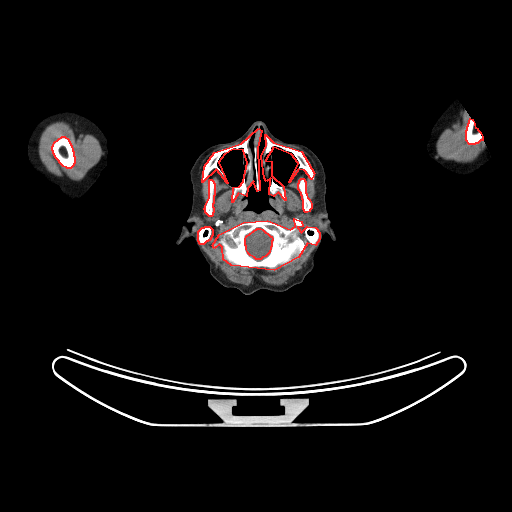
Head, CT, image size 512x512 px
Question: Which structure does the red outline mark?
Answer: red: bones.
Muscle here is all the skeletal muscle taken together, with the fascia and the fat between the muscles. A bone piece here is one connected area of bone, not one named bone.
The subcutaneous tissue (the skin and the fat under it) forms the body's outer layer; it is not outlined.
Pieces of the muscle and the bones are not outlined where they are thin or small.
bones 1: 294,218 301,221 302,226 297,227 301,232 307,226 315,227 319,232 319,239 315,245 307,243 298,257 274,270 231,265 223,259 222,247 219,244 214,248 212,245 219,234 243,222 267,220 290,229 295,226 with a hole at 257,228 260,228 262,229 270,236 271,236 272,238 272,240 271,241 271,246 270,247 269,252 265,256 262,257 260,259 256,259 254,257 250,255 248,253 246,249 246,246 245,245 245,238 246,236
bones 2: 258,128 261,130 257,148 259,190 257,191 253,181 247,188 246,196 238,193 232,202 233,187 239,186 243,181 247,162 243,150 233,149 224,154 218,162 227,183 216,169 202,182 204,166 214,152 241,143
bones 3: 265,134 273,142 301,151 314,173 311,179 304,170 298,169 289,182 298,163 291,154 273,147 265,160 271,161 271,175 283,186 285,200 278,192 273,196 269,194 270,178 266,181 264,178 261,156 266,145
bones 4: 62,136 64,136 68,139 68,140 71,145 72,150 73,151 73,155 74,156 74,163 73,164 73,165 70,168 67,168 66,167 63,166 55,157 55,156 53,153 53,151 52,150 52,146 53,145 54,142
bones 5: 470,118 472,119 474,123 474,125 475,127 477,128 477,129 480,132 482,136 482,140 480,140 477,143 475,143 474,144 469,144 466,140 466,130 467,129 467,126 468,125 468,123 469,122 469,120
bones 6: 301,178 303,178 305,181 305,192 306,193 306,195 307,197 309,199 311,203 311,208 309,210 309,211 307,212 305,212 303,209 303,200 302,199 302,196 301,195 301,193 298,189 298,183 299,182 299,180
bones 7: 210,179 211,179 213,181 213,182 214,183 214,195 213,196 213,203 212,204 212,206 213,207 213,212 212,213 212,215 211,216 209,216 205,212 205,210 204,209 204,208 205,207 205,205 209,198 209,180
bones 8: 205,226 209,226 212,229 212,235 211,236 211,237 210,238 210,239 209,240 208,240 207,241 206,241 203,244 200,244 199,243 199,242 198,241 198,231 202,227 204,227
right arm: 60,111 73,111 89,118 102,130 107,138 107,147 108,148 107,165 102,170 99,177 88,191 82,197 78,199 70,199 64,195 56,185 48,181 32,167 27,157 27,151 26,150 27,143 37,124 44,117
brain: 257,228 260,228 262,229 270,236 271,236 272,238 272,240 271,241 271,246 270,247 269,252 265,256 262,257 260,259 256,259 254,257 250,255 248,253 246,249 246,246 245,245 245,238 246,236
muscle 1: 302,151 314,162 318,172 319,228 307,225 301,231 298,227 302,227 303,223 298,217 292,219 294,226 290,228 267,219 252,219 237,223 219,233 211,245 214,249 219,245 221,247 222,259 231,266 274,271 293,262 306,250 308,244 314,247 306,264 286,283 279,285 260,280 246,286 228,280 215,266 202,245 211,239 213,229 205,225 198,230 198,171 204,159 211,154 200,175 202,183 216,170 232,187 232,203 238,194 245,197 246,210 261,212 272,208 270,196 278,193 283,201 286,200 284,186 293,179 296,171 302,170 311,180 315,179 312,164 with holes at 301,178 303,178 305,181 305,192 306,193 306,195 307,197 309,199 311,203 311,208 309,210 309,211 307,212 305,212 303,209 303,200 302,199 302,196 301,195 301,193 298,189 298,183 299,182 299,180 and at 210,179 211,179 213,181 213,182 214,183 214,195 213,196 213,203 212,204 212,206 213,207 213,212 212,213 212,215 211,216 209,216 205,212 205,210 204,209 204,208 205,207 205,205 209,198 209,180 and at 218,219 219,219 220,219 221,220 222,220 223,221 223,222 222,223 221,224 220,224 219,225 218,226 217,226 216,226 215,226 215,225 214,224 215,223 215,222 216,221 217,220
muscle 2: 60,120 65,121 72,127 79,130 80,132 92,134 99,141 102,149 102,156 100,160 79,181 71,180 66,176 59,177 50,173 45,168 39,157 38,144 39,143 39,138 42,131 48,124 54,121 59,121, around a hole outlined by 62,136 64,136 68,139 68,140 71,145 72,150 73,151 73,155 74,156 74,163 73,164 73,165 70,168 67,168 66,167 63,166 55,157 55,156 53,153 53,151 52,150 52,146 53,145 54,142
muscle 3: 462,107 466,110 470,117 465,130 466,142 469,145 474,145 482,141 483,139 487,147 487,149 482,150 474,160 465,163 453,160 445,160 437,156 435,148 436,142 440,134 445,128 449,127 455,121 457,112
left arm: 454,98 456,98 458,100 461,105 466,110 469,116 472,119 475,127 477,128 480,132 491,157 490,160 483,167 469,175 458,175 445,169 437,162 432,159 429,156 426,150 426,143 430,136 430,131 433,124
head: 255,120 262,120 277,138 305,145 319,158 325,172 326,209 336,239 327,234 321,237 313,269 299,284 283,292 261,289 244,294 211,276 192,237 179,244 176,241 191,209 190,170 195,160 208,147 238,138 with holes at 262,130 264,134 263,135 265,145 260,156 260,165 265,181 266,182 269,178 268,194 269,204 271,208 261,211 255,211 246,209 246,197 248,188 253,182 256,191 258,192 260,190 258,171 258,148 and at 273,148 278,148 284,152 291,155 293,159 295,160 297,163 297,166 289,178 288,182 285,185 281,185 275,181 272,175 272,172 271,171 272,169 272,161 270,160 268,162 266,160 266,157 271,153 272,149 and at 233,150 242,150 242,155 244,158 245,157 246,158 246,162 243,166 242,181 241,183 237,186 232,186 230,185 229,183 228,183 228,180 226,178 224,172 219,165 219,162 222,157 224,155 228,154